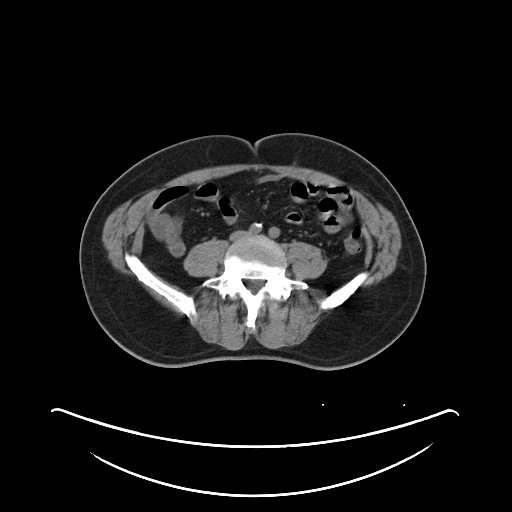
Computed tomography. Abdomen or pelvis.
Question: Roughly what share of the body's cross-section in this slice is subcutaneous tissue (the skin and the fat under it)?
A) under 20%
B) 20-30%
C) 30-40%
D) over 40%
Answer: D) over 40%
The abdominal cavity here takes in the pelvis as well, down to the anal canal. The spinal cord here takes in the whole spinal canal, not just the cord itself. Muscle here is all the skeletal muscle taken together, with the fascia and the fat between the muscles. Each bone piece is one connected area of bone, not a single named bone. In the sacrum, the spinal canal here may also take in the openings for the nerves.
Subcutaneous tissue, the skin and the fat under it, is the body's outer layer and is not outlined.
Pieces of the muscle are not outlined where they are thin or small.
Outlines:
bones 1: 256,235 264,235 279,244 288,264 285,275 305,282 308,288 293,289 286,300 267,297 258,311 256,329 253,331 245,324 247,309 238,296 223,299 216,289 201,285 205,280 222,273 225,253 232,243 243,237; inner edge: 249,280 263,280 264,281 264,283 263,284 263,285 255,293 252,293 251,292 251,291 247,287 247,286 246,285 246,282 247,281 248,281
bones 2: 126,252 137,256 145,266 161,281 174,289 183,292 191,296 193,298 195,308 197,312 197,316 194,321 191,322 185,314 168,301 165,297 159,294 152,288 146,285 137,278 135,274 126,264 124,258 124,255
bones 3: 361,271 367,271 369,273 369,275 358,287 358,288 343,303 334,308 330,308 326,310 322,310 320,309 319,305 320,304 320,302 323,299 324,299 331,292 341,287 344,284 349,281 356,274
spinal cord: 249,280 263,280 264,281 264,283 263,284 263,285 255,293 252,293 251,292 251,291 247,287 247,286 246,285 246,282 247,281 248,281
muscle 1: 229,164 306,167 359,188 387,208 397,221 401,248 394,271 379,283 354,293 370,273 362,270 367,252 366,238 356,198 347,185 280,176 272,170 242,170 198,183 171,184 154,197 143,216 140,258 128,251 123,258 140,282 165,298 191,323 198,316 194,298 152,272 186,290 200,285 216,290 223,300 238,297 246,309 244,324 253,332 265,300 286,301 293,290 309,287 326,292 328,294 318,307 322,311 332,309 307,338 296,345 272,349 251,338 242,348 230,350 205,342 187,320 161,305 133,277 113,268 101,237 108,215 137,194 193,170
muscle 2: 293,240 311,244 319,248 321,251 321,254 323,257 327,260 327,265 324,271 319,276 311,279 301,280 300,279 294,279 286,275 286,270 289,264 287,261 286,255 283,249 283,246 284,244 289,243
muscle 3: 213,238 216,238 220,240 224,240 227,242 227,248 224,253 224,256 222,261 223,270 221,273 218,275 209,277 208,278 206,277 196,277 190,275 185,270 183,266 183,261 184,259 192,247 197,244 211,240
torso: 281,132 310,133 342,143 373,163 397,190 419,233 426,258 423,296 411,323 393,343 373,357 334,370 271,359 160,367 122,349 94,318 80,277 80,239 100,195 133,164 173,143 207,134 231,134 252,142
abdominal cavity: 242,171 347,186 365,238 362,269 329,293 310,287 304,281 319,277 328,265 320,248 296,239 282,248 264,234 228,246 216,237 192,246 182,266 206,279 189,289 149,269 141,259 144,216 155,197 171,185